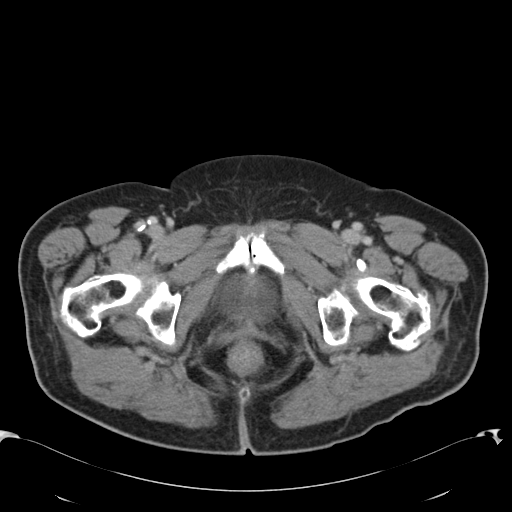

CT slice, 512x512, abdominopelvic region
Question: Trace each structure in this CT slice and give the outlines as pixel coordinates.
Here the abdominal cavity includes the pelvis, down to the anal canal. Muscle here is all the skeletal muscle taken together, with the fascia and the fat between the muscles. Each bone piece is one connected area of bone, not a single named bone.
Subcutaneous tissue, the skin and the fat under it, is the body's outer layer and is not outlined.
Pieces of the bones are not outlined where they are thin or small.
Answer: {"abdominal_cavity":[[[239,266],[243,267],[263,266],[276,274],[279,278],[284,300],[289,309],[295,315],[301,327],[300,352],[293,364],[279,378],[260,385],[247,385],[239,383],[208,367],[204,363],[204,360],[201,356],[195,335],[196,325],[203,316],[222,275],[228,270]]],"bones":[[[148,270],[164,280],[171,293],[178,291],[181,294],[174,325],[174,345],[155,339],[144,320],[135,315],[143,299],[141,295],[130,303],[106,309],[100,329],[90,336],[79,336],[62,321],[61,295],[65,287],[76,286],[95,274],[122,272],[140,276]],[[364,276],[379,277],[387,281],[400,284],[409,288],[414,294],[420,290],[426,291],[427,299],[430,304],[431,327],[419,337],[420,343],[416,347],[406,351],[392,345],[389,342],[388,331],[390,319],[370,309],[362,302],[357,292],[354,290],[355,282]],[[246,235],[264,236],[265,241],[274,253],[285,265],[283,275],[281,276],[263,265],[260,265],[259,266],[243,266],[242,265],[239,265],[228,269],[223,274],[217,273],[215,270],[215,266],[217,263],[229,251],[233,246],[235,241],[240,236],[245,236]],[[334,288],[340,289],[344,296],[350,301],[357,309],[358,314],[355,316],[351,321],[351,324],[350,325],[350,336],[348,339],[348,341],[344,344],[332,346],[326,343],[323,338],[322,326],[321,325],[321,321],[317,307],[317,300],[320,296],[327,296]]],"muscle":[{"outer":[[110,205],[128,208],[173,232],[194,224],[296,219],[337,233],[365,217],[387,214],[436,228],[468,268],[468,277],[449,313],[449,339],[437,374],[350,415],[293,429],[280,428],[270,419],[268,402],[295,385],[311,361],[303,362],[277,391],[245,403],[251,392],[242,386],[237,393],[239,403],[231,396],[220,400],[215,407],[218,423],[209,428],[150,420],[89,398],[70,377],[70,363],[51,318],[37,248],[65,217]],"holes":[[[246,235],[264,236],[265,241],[285,265],[283,275],[278,274],[277,276],[284,300],[301,327],[300,352],[293,364],[279,378],[260,385],[239,383],[208,367],[201,356],[195,335],[196,325],[203,316],[222,277],[215,270],[215,266],[235,241],[240,236]],[[148,270],[164,280],[171,293],[178,291],[181,294],[174,325],[174,345],[155,339],[144,320],[135,315],[143,299],[141,295],[130,303],[106,309],[100,329],[90,336],[79,336],[62,321],[61,295],[65,287],[76,286],[95,274],[122,272],[140,276]],[[364,276],[379,277],[387,281],[400,284],[409,288],[414,294],[420,290],[426,291],[427,299],[430,304],[431,327],[419,337],[420,343],[416,347],[406,351],[392,345],[389,342],[388,331],[390,319],[370,309],[362,302],[357,292],[354,290],[355,282]],[[334,288],[340,289],[344,296],[350,301],[357,309],[358,314],[355,316],[351,321],[351,324],[350,325],[350,336],[348,339],[348,341],[344,344],[332,346],[326,343],[323,338],[322,326],[321,325],[321,321],[317,307],[317,300],[320,296],[327,296]]]}],"torso":[[[242,154],[306,158],[402,190],[453,215],[475,234],[487,260],[487,296],[478,359],[460,389],[355,439],[263,456],[249,449],[244,455],[220,455],[140,442],[44,393],[27,347],[18,283],[27,229],[47,209],[77,194],[123,181],[165,187],[192,165]]]}